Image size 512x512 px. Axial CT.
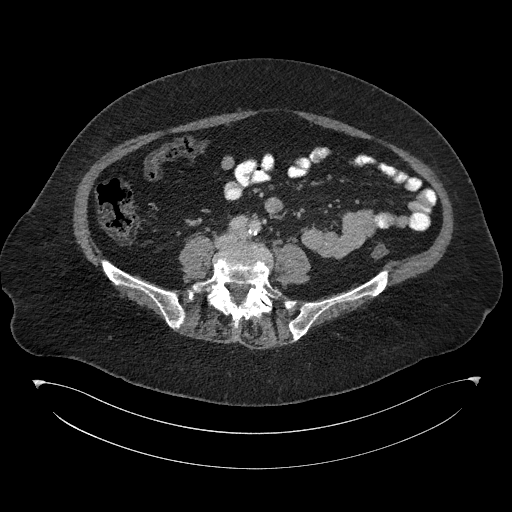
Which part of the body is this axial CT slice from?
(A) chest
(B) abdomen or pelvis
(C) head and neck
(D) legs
Answer: (B) abdomen or pelvis
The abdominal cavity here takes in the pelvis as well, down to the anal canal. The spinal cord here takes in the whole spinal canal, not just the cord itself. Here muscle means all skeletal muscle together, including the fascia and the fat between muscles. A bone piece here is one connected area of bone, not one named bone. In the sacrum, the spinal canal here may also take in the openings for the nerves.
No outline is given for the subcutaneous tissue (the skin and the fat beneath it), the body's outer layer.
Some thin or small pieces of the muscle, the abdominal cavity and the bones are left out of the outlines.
The muscle appears in 5 outlined pieces: piece 1: (274, 107) (285, 107) (314, 113) (341, 121) (408, 151) (434, 171) (445, 188) (451, 202) (453, 212) (453, 232) (444, 254) (432, 268) (416, 277) (409, 278) (384, 291) (389, 282) (389, 271) (383, 267) (390, 260) (399, 260) (427, 250) (437, 237) (442, 225) (442, 205) (436, 190) (431, 184) (395, 152) (372, 139) (358, 137) (342, 131) (324, 127) (313, 123) (295, 113) (282, 110) (264, 111) (228, 123) (222, 123) (193, 130) (167, 133) (130, 151) (121, 158) (106, 166) (94, 180) (87, 200) (88, 227) (93, 241) (105, 257) (102, 257) (99, 260) (101, 270) (105, 277) (88, 261) (79, 245) (75, 241) (72, 226) (73, 204) (76, 189) (82, 177) (102, 155) (125, 140) (152, 131) (162, 130) (223, 113); piece 2: (198, 235) (205, 236) (212, 243) (212, 274) (193, 282) (186, 289) (187, 299) (192, 301) (196, 294) (205, 293) (207, 303) (224, 315) (230, 315) (231, 325) (237, 329) (242, 318) (260, 318) (262, 314) (269, 313) (273, 300) (283, 293) (297, 294) (308, 300) (301, 304) (297, 314) (287, 323) (290, 344) (254, 350) (239, 343) (205, 341) (174, 331) (185, 322) (186, 311) (178, 293) (166, 289) (177, 289) (183, 285) (184, 273) (178, 256) (186, 242); inner edge: (286, 298) (288, 298) (289, 299) (295, 299) (296, 300) (297, 300) (297, 303) (296, 304) (296, 305) (294, 307) (294, 308) (293, 309) (286, 309) (285, 308) (285, 307) (283, 305) (283, 301); piece 3: (286, 244) (293, 244) (301, 248) (307, 256) (310, 264) (310, 269) (308, 272) (310, 276) (309, 280) (304, 283) (298, 283) (297, 284) (291, 283) (287, 286) (287, 288) (282, 287) (278, 281) (274, 281) (271, 284) (269, 280) (269, 276) (272, 272) (274, 265) (274, 250); piece 4: (380, 294) (381, 294) (379, 296) (376, 297) (370, 302) (366, 303) (363, 307) (359, 307) (357, 309) (339, 316) (335, 319) (333, 319) (330, 321) (327, 321) (321, 326) (306, 334) (318, 317) (331, 307) (340, 303) (352, 302) (368, 296) (370, 297) (376, 297); piece 5: (108, 280) (115, 286) (123, 286) (131, 289) (139, 290) (144, 293) (152, 300) (158, 308) (165, 322) (159, 318) (151, 310) (148, 309) (146, 307) (141, 306) (134, 301) (128, 299) (126, 297) (120, 296) (119, 295) (119, 292) (116, 290) (111, 284) (110, 284). The torso is outlined by (250, 57) (300, 60) (354, 75) (405, 101) (441, 132) (474, 185) (502, 266) (501, 295) (477, 332) (452, 351) (363, 387) (266, 406) (175, 396) (75, 359) (38, 356) (22, 349) (10, 327) (13, 308) (3, 290) (0, 250) (68, 145) (105, 106) (137, 86) (197, 65). The spinal cord is outlined by (232, 283) (234, 283) (235, 284) (237, 284) (238, 285) (248, 285) (249, 286) (248, 287) (248, 289) (245, 294) (244, 299) (238, 303) (237, 302) (236, 302) (233, 299) (233, 297) (231, 294) (231, 291) (230, 290) (230, 287) (229, 286) (230, 285) (230, 284) (231, 284). The abdominal cavity is outlined by (280, 111) (372, 140) (427, 181) (441, 205) (441, 225) (427, 249) (313, 300) (272, 285) (310, 280) (308, 256) (293, 243) (273, 255) (254, 241) (214, 253) (208, 237) (195, 235) (178, 253) (177, 288) (132, 275) (104, 255) (91, 234) (88, 200) (106, 167) (167, 134). The bones appear in 4 outlined pieces: piece 1: (238, 242) (261, 243) (269, 249) (273, 265) (268, 280) (282, 295) (272, 300) (269, 312) (262, 313) (260, 317) (242, 317) (238, 327) (234, 328) (231, 315) (210, 305) (205, 292) (198, 292) (189, 300) (187, 289) (193, 283) (203, 281) (213, 274) (212, 258) (216, 252); inner edge: (232, 283) (234, 283) (235, 284) (237, 284) (238, 285) (248, 285) (249, 286) (248, 287) (248, 289) (245, 294) (244, 299) (238, 303) (237, 302) (236, 302) (233, 299) (233, 297) (231, 294) (231, 291) (230, 290) (230, 287) (229, 286) (230, 285) (230, 284) (231, 284); piece 2: (383, 268) (385, 268) (388, 271) (388, 282) (385, 289) (381, 293) (376, 296) (368, 295) (352, 301) (340, 302) (331, 306) (317, 317) (304, 335) (293, 343) (290, 343) (292, 335) (289, 331) (288, 323) (298, 314) (299, 309) (304, 302) (320, 301) (346, 292) (366, 282); piece 3: (102, 258) (106, 258) (118, 268) (132, 276) (160, 288) (170, 291) (175, 291) (178, 295) (178, 300) (185, 311) (184, 322) (180, 327) (176, 330) (172, 329) (166, 323) (159, 308) (153, 300) (141, 290) (123, 285) (115, 285) (109, 280) (104, 274) (100, 264) (100, 260); piece 4: (286, 298) (288, 298) (289, 299) (295, 299) (296, 300) (297, 300) (297, 303) (296, 304) (296, 305) (294, 307) (294, 308) (293, 309) (286, 309) (285, 308) (285, 307) (283, 305) (283, 301).